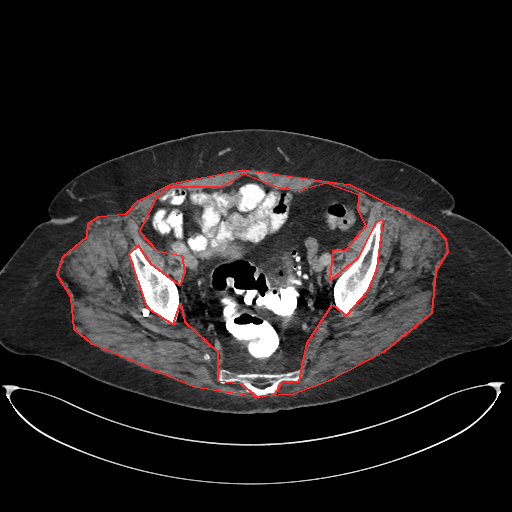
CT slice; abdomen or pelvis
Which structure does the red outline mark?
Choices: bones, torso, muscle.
red: muscle.
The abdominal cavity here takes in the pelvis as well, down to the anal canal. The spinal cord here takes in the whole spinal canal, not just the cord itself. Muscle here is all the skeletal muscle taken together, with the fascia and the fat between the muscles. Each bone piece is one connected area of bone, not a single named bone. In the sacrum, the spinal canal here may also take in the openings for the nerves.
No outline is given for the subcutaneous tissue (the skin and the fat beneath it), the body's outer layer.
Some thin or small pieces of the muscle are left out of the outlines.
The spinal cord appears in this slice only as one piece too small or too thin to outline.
{"muscle":[[[242,169],[350,184],[434,226],[445,238],[447,252],[435,271],[431,313],[383,352],[328,381],[293,394],[262,396],[275,393],[282,382],[299,381],[307,342],[332,304],[346,315],[368,290],[377,268],[383,220],[375,222],[357,258],[330,280],[333,250],[346,249],[366,225],[358,210],[359,195],[326,183],[300,190],[279,188],[244,174],[221,187],[168,187],[155,198],[139,231],[156,250],[181,255],[184,272],[179,285],[151,264],[138,245],[128,254],[146,307],[173,324],[180,303],[184,321],[217,351],[217,380],[240,383],[258,397],[194,387],[92,344],[74,329],[71,297],[57,275],[63,256],[87,236],[88,223],[98,216],[126,213],[138,200],[171,183]]],"torso":[[[249,128],[341,142],[376,157],[410,164],[439,182],[454,198],[455,213],[482,226],[511,252],[511,340],[446,358],[349,398],[249,414],[155,399],[55,360],[17,354],[0,345],[0,269],[30,232],[50,218],[50,202],[70,180],[99,163],[156,143]]],"bones":[[[380,219],[382,220],[382,222],[381,223],[381,234],[379,242],[379,252],[378,253],[378,258],[373,278],[367,290],[359,301],[346,314],[342,314],[336,308],[334,304],[334,299],[333,298],[333,287],[334,284],[340,275],[358,258],[376,222]],[[134,246],[138,246],[147,261],[155,268],[168,275],[177,285],[178,293],[179,294],[179,311],[178,312],[178,317],[175,322],[173,323],[167,322],[147,307],[144,298],[142,296],[136,282],[136,277],[135,276],[133,262],[130,258],[129,254],[131,248]],[[222,368],[225,371],[231,373],[289,373],[296,369],[299,369],[301,370],[302,374],[300,379],[297,381],[282,381],[278,385],[276,391],[273,393],[261,396],[254,396],[252,393],[246,391],[240,382],[235,381],[221,383],[218,380],[218,374],[220,369]]],"abdominal_cavity":[[[244,175],[279,189],[326,184],[351,190],[365,221],[346,248],[332,250],[326,275],[335,280],[333,304],[308,338],[302,364],[289,372],[225,370],[218,351],[184,319],[178,288],[185,272],[182,255],[156,249],[140,231],[164,190],[221,188]]]}